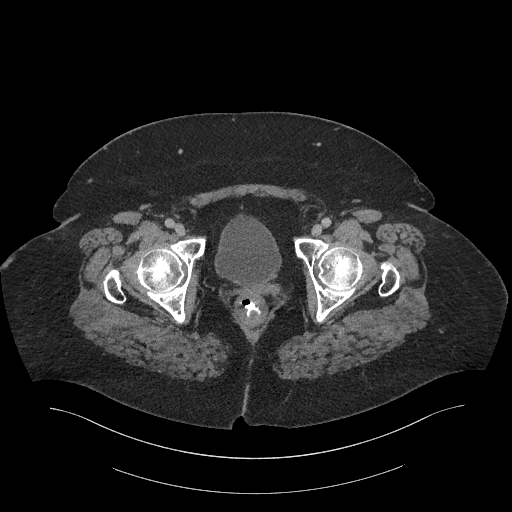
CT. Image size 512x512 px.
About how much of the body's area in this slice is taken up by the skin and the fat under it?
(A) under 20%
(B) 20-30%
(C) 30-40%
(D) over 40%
(D) over 40%
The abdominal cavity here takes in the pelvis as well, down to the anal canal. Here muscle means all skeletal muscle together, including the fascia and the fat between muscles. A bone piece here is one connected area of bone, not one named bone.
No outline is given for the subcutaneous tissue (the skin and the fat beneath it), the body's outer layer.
abdominal cavity: [[246,194],[272,196],[298,205],[299,234],[291,240],[305,284],[304,301],[300,297],[286,297],[269,312],[262,327],[255,333],[248,331],[220,299],[210,295],[198,297],[198,291],[202,289],[200,261],[207,243],[207,237],[196,231],[198,210],[212,202]]
torso: [[267,110],[335,120],[387,145],[432,192],[429,211],[490,260],[508,295],[484,369],[448,374],[375,408],[294,428],[252,426],[241,416],[231,429],[197,426],[75,383],[34,381],[10,327],[0,265],[59,224],[52,209],[75,169],[114,137],[145,123]]
bones 1: [[198,236],[206,237],[205,250],[203,255],[194,261],[191,270],[191,276],[184,299],[185,320],[182,323],[176,323],[173,317],[163,307],[146,294],[143,288],[136,281],[133,271],[137,267],[142,256],[148,250],[152,248],[167,247],[179,240],[189,239]]
bones 2: [[294,236],[304,236],[320,239],[331,246],[344,246],[351,248],[357,253],[365,268],[363,276],[356,286],[357,287],[356,290],[347,299],[331,310],[322,322],[315,322],[315,315],[317,310],[317,297],[315,288],[306,264],[295,253],[294,244],[292,240]]
bones 3: [[383,261],[388,261],[389,262],[392,263],[397,268],[397,269],[399,271],[399,273],[400,274],[400,285],[399,286],[399,287],[393,293],[392,293],[388,296],[380,296],[377,292],[377,284],[380,279],[380,269],[379,268],[379,266],[380,265],[380,264]]
bones 4: [[112,268],[117,268],[120,271],[120,274],[121,275],[121,278],[122,279],[122,283],[125,287],[125,292],[126,293],[126,300],[121,304],[118,304],[109,300],[107,298],[106,298],[104,294],[102,282],[103,281],[103,279],[105,275],[108,272],[108,271]]
muscle: [[239,183],[299,188],[325,204],[353,199],[400,214],[426,240],[425,296],[431,313],[427,325],[377,359],[331,375],[296,380],[278,377],[270,354],[284,340],[302,332],[304,318],[297,309],[281,312],[269,323],[249,365],[249,343],[238,325],[218,305],[205,305],[199,329],[213,332],[231,346],[232,352],[223,373],[203,381],[175,379],[131,365],[85,338],[68,315],[79,292],[81,236],[103,226],[109,215],[119,211]]; inner edges: [[246,194],[296,203],[299,236],[359,256],[365,269],[356,290],[322,322],[315,322],[317,297],[301,258],[304,301],[286,297],[255,333],[220,299],[198,297],[202,256],[191,270],[182,323],[136,281],[133,271],[145,252],[202,235],[195,223],[200,207]], then [[383,261],[388,261],[389,262],[392,263],[397,268],[397,269],[399,271],[399,273],[400,274],[400,285],[399,286],[399,287],[393,293],[392,293],[388,296],[380,296],[377,292],[377,284],[380,279],[380,269],[379,268],[379,266],[380,265],[380,264]], then [[112,268],[117,268],[120,271],[120,274],[121,275],[121,278],[122,279],[122,283],[125,287],[125,292],[126,293],[126,300],[121,304],[118,304],[109,300],[107,298],[106,298],[104,294],[102,282],[103,281],[103,279],[105,275],[108,272],[108,271]]